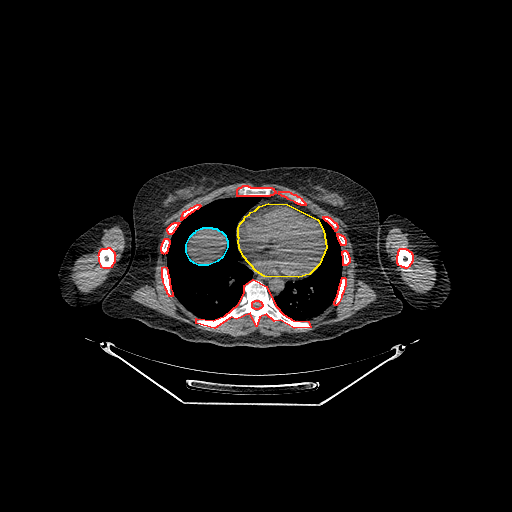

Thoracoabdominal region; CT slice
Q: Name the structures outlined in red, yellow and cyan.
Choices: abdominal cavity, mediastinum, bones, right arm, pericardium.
A: red: bones; yellow: pericardium; cyan: abdominal cavity.
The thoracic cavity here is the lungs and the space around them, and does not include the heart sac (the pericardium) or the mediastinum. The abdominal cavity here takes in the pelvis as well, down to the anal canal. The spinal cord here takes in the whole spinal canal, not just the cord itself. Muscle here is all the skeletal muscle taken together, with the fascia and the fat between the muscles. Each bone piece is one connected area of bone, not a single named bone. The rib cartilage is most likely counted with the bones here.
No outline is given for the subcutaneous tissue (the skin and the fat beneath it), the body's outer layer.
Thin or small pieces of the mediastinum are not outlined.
{"bones":[{"outer":[[253,279],[266,286],[275,305],[283,314],[293,320],[308,321],[310,327],[294,328],[280,320],[274,321],[266,314],[259,317],[256,326],[250,313],[236,319],[231,317],[214,328],[196,323],[196,318],[213,320],[225,315],[238,304],[244,293],[244,285]],"hole":[[255,300],[258,300],[259,301],[260,301],[261,302],[261,303],[262,304],[262,306],[260,308],[259,308],[258,309],[255,309],[254,308],[253,308],[252,307],[252,302],[253,301],[254,301]]},[[243,185],[247,185],[248,186],[249,186],[250,187],[271,187],[272,188],[273,188],[273,189],[275,191],[275,193],[274,193],[272,195],[270,195],[269,196],[237,196],[237,189],[239,187],[241,187]],[[108,247],[109,247],[114,252],[114,254],[115,255],[114,256],[114,262],[111,266],[111,267],[109,268],[103,268],[101,267],[101,265],[99,261],[99,257],[98,255],[99,254],[99,252],[100,250],[102,248],[107,248]],[[400,248],[405,248],[406,249],[407,249],[409,251],[410,251],[412,254],[412,261],[411,262],[411,263],[409,265],[409,266],[406,268],[405,268],[404,267],[402,267],[401,266],[398,265],[398,264],[397,263],[397,255],[398,254],[398,251]],[[279,191],[288,191],[293,194],[295,194],[297,196],[298,196],[301,198],[301,199],[305,203],[305,205],[301,205],[300,204],[298,204],[297,203],[296,203],[295,202],[288,199],[286,197],[285,197],[284,196],[282,196],[278,193],[279,192]],[[164,266],[166,267],[167,269],[167,273],[168,274],[168,277],[169,278],[169,284],[170,285],[170,288],[172,292],[172,296],[169,296],[169,295],[167,293],[167,291],[165,288],[165,286],[163,282],[163,279],[162,278],[162,267]],[[342,277],[344,277],[345,278],[345,286],[344,287],[343,292],[341,295],[341,297],[338,303],[336,305],[335,305],[334,304],[334,301],[337,296],[337,294],[338,293],[338,290],[339,289],[339,286],[340,285],[340,283],[341,282],[341,279]],[[197,204],[199,204],[200,205],[200,206],[197,209],[194,210],[192,212],[191,212],[189,214],[188,214],[184,218],[183,218],[181,220],[181,217],[182,216],[182,214],[183,213],[183,212],[184,211],[185,211],[186,210],[189,209],[191,207],[192,207]],[[165,238],[167,238],[169,240],[169,244],[168,245],[168,247],[167,248],[167,251],[166,252],[166,253],[165,253],[164,254],[163,253],[162,253],[162,252],[161,251],[161,246],[162,245],[162,243],[163,242],[163,241],[164,240],[164,239]],[[323,216],[327,216],[328,217],[329,217],[334,222],[335,222],[336,223],[336,224],[337,225],[337,228],[336,229],[336,230],[335,231],[335,230],[333,228],[333,227],[327,221],[326,221],[323,218]],[[344,250],[345,250],[347,252],[347,253],[348,254],[348,256],[349,257],[349,262],[346,265],[343,265],[343,256],[342,255],[342,251],[343,251]],[[174,222],[178,222],[179,223],[177,225],[177,226],[175,228],[175,229],[173,231],[173,232],[171,234],[169,234],[168,233],[168,232],[167,231],[167,228],[172,223],[173,223]],[[337,233],[338,233],[339,234],[340,234],[341,235],[342,235],[344,237],[344,238],[345,239],[345,244],[344,245],[341,245],[341,244],[340,243],[340,242],[339,241],[339,240],[338,239],[338,237],[337,236]]],"pericardium":[[[268,203],[287,204],[317,219],[323,230],[326,247],[319,264],[309,274],[298,277],[264,276],[256,271],[243,256],[239,247],[238,240],[239,238],[238,237],[238,228],[240,223],[244,219],[245,216],[249,214],[250,212],[255,210],[259,206]]],"abdominal_cavity":[[[203,227],[211,227],[212,228],[216,228],[218,230],[221,231],[225,235],[226,239],[227,240],[227,247],[222,257],[217,261],[208,265],[198,265],[194,263],[190,260],[186,252],[186,244],[190,236],[194,232],[195,232],[196,230],[200,228],[202,228]]],"left_arm":[[[393,213],[399,214],[408,218],[421,228],[436,242],[441,251],[441,257],[444,265],[451,277],[452,289],[448,298],[437,307],[429,309],[418,309],[410,305],[403,297],[402,294],[396,288],[393,287],[381,266],[378,249],[380,225],[381,222],[388,215]]],"thoracic_cavity":[{"outer":[[236,196],[260,197],[241,216],[235,228],[235,241],[239,254],[239,262],[248,268],[252,272],[252,275],[250,280],[243,285],[243,293],[237,304],[225,314],[213,319],[197,317],[179,301],[172,291],[166,255],[170,239],[180,222],[200,207],[218,199]],"hole":[[203,227],[211,227],[212,228],[216,228],[218,230],[221,231],[225,235],[226,239],[227,240],[227,247],[222,257],[217,261],[208,265],[198,265],[194,263],[190,260],[186,252],[186,244],[190,236],[194,232],[195,232],[196,230],[200,228],[202,228]]},[[321,219],[323,219],[332,227],[341,246],[342,267],[341,278],[337,293],[333,302],[320,314],[308,320],[293,319],[279,309],[274,301],[274,297],[277,296],[284,289],[288,281],[298,282],[307,278],[314,272],[322,261],[329,243],[327,234],[319,222]]],"muscle":[[[246,181],[255,186],[243,184],[236,189],[235,196],[218,198],[202,206],[197,203],[182,212],[179,222],[174,221],[166,228],[167,233],[171,235],[169,239],[165,237],[160,246],[161,253],[166,256],[166,266],[161,267],[162,282],[168,296],[172,297],[173,294],[196,317],[194,319],[196,324],[214,329],[231,318],[236,320],[245,314],[250,314],[256,327],[259,325],[260,317],[266,315],[274,322],[280,321],[294,329],[308,330],[311,327],[309,320],[320,315],[333,303],[336,306],[342,297],[346,286],[342,268],[350,262],[350,257],[345,249],[342,250],[346,239],[342,234],[336,233],[337,223],[327,215],[323,215],[322,218],[314,213],[295,193],[279,190],[277,193],[281,196],[273,195],[276,193],[273,187],[260,186],[266,183],[282,185],[297,191],[344,223],[344,230],[352,244],[356,263],[355,277],[363,280],[374,290],[376,299],[341,321],[306,332],[283,332],[278,336],[263,335],[258,331],[233,336],[200,330],[133,300],[132,293],[154,279],[157,250],[166,221],[194,199],[217,188]],{"outer":[[116,225],[122,230],[125,240],[125,246],[121,254],[121,257],[117,267],[108,274],[102,284],[90,292],[83,292],[79,290],[71,278],[72,267],[75,261],[82,255],[86,253],[90,253],[94,250],[94,248],[99,244],[104,229],[106,228],[107,229]],"hole":[[108,247],[109,247],[114,252],[114,254],[115,255],[114,256],[114,262],[111,266],[111,267],[109,268],[103,268],[101,267],[101,265],[99,261],[99,257],[98,255],[99,254],[99,252],[100,250],[102,248],[107,248]]},{"outer":[[393,227],[399,227],[404,233],[407,233],[408,240],[411,244],[415,246],[416,252],[419,255],[427,258],[432,263],[435,269],[435,283],[431,289],[424,293],[419,293],[403,283],[399,274],[393,268],[393,263],[390,260],[385,246],[385,238],[389,230]],"hole":[[400,248],[405,248],[406,249],[407,249],[409,251],[410,251],[412,254],[412,261],[411,262],[411,263],[409,265],[409,266],[406,268],[405,268],[404,267],[402,267],[401,266],[398,265],[398,264],[397,263],[397,255],[398,254],[398,251]]}],"mediastinum":[[[270,196],[284,197],[298,205],[305,206],[321,218],[318,220],[316,217],[309,213],[287,203],[268,202],[263,203],[250,211],[239,223],[237,228],[239,250],[247,263],[256,272],[264,277],[271,278],[298,278],[309,275],[304,279],[298,281],[288,280],[285,283],[283,289],[274,296],[269,293],[267,286],[261,280],[257,278],[251,279],[253,272],[240,262],[240,254],[236,241],[236,228],[242,216],[257,203],[261,197]]],"torso":[[[202,162],[229,163],[253,170],[315,166],[340,172],[365,187],[374,197],[379,212],[377,249],[380,266],[402,302],[401,312],[331,339],[272,347],[192,342],[135,319],[119,319],[105,314],[100,303],[126,274],[135,249],[132,208],[138,190],[160,173]]],"right_arm":[[[117,214],[118,215],[121,215],[125,220],[127,221],[130,230],[133,233],[131,240],[131,257],[125,274],[100,302],[88,307],[74,307],[68,304],[64,301],[58,290],[57,273],[60,262],[62,260],[70,245],[77,237],[100,220],[112,215],[116,215]]],"spinal_cord":[[[255,300],[258,300],[259,301],[260,301],[261,302],[261,303],[262,304],[262,306],[260,308],[259,308],[258,309],[255,309],[254,308],[253,308],[252,307],[252,302],[253,301],[254,301]]]}